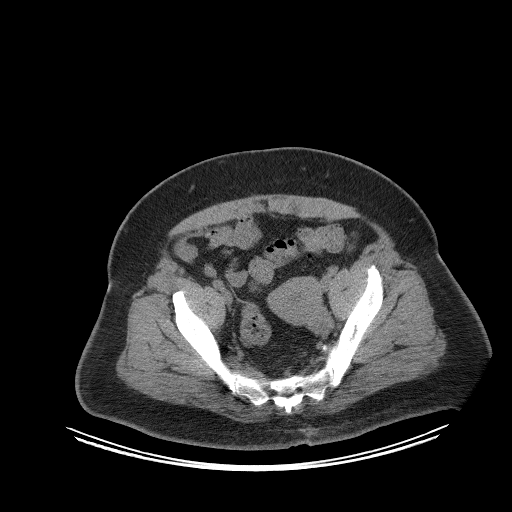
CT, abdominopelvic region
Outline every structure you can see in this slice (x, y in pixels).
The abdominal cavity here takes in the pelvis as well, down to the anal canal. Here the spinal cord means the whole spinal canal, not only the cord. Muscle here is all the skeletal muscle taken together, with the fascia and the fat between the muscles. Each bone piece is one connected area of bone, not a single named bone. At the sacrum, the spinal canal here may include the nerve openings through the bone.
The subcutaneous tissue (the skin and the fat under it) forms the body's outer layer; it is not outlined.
{"muscle":[{"outer":[[268,193],[332,199],[355,207],[381,225],[425,283],[434,320],[445,335],[441,365],[421,378],[393,384],[330,414],[272,415],[257,422],[241,422],[207,409],[154,399],[129,388],[116,373],[126,341],[128,309],[132,295],[158,259],[166,232],[213,204]],"hole":[[261,212],[358,218],[377,234],[349,268],[335,274],[327,292],[344,322],[374,264],[382,277],[381,307],[340,383],[321,400],[304,396],[290,414],[272,400],[257,406],[233,394],[174,321],[172,294],[183,290],[215,335],[226,298],[171,258],[170,240]]},[[225,357],[226,358],[227,357],[228,358],[232,358],[241,364],[247,364],[249,366],[254,368],[256,371],[266,377],[264,376],[259,378],[257,378],[256,377],[252,377],[242,373],[239,370],[237,370],[236,369],[232,369],[230,368],[224,361],[223,358]],[[325,354],[326,354],[326,356],[324,359],[324,363],[323,365],[320,368],[310,373],[307,373],[306,374],[301,374],[301,373],[306,368],[306,367],[308,366],[311,363],[312,360],[314,360],[318,357],[323,356]]],"abdominal_cavity":[[[261,212],[277,218],[358,218],[377,234],[377,239],[349,268],[341,269],[329,281],[329,303],[344,322],[335,342],[300,373],[273,378],[247,363],[222,357],[214,335],[225,318],[226,298],[214,287],[198,283],[171,258],[168,250],[168,243],[177,234]]],"bones":[[[372,264],[382,277],[382,304],[349,367],[323,399],[304,396],[290,414],[272,400],[257,406],[233,394],[174,321],[172,294],[183,290],[189,307],[209,327],[230,369],[257,379],[310,374],[324,365],[328,348],[336,342],[366,287],[366,270]]],"torso":[[[281,146],[327,150],[365,163],[399,184],[423,209],[436,232],[439,254],[478,313],[492,348],[461,407],[404,419],[341,441],[274,450],[178,443],[88,413],[76,396],[75,370],[100,311],[108,286],[109,250],[127,212],[152,187],[189,165],[225,153]]],"spinal_cord":[[[284,393],[285,393],[286,393],[287,393],[288,393],[289,393],[290,393],[291,393],[292,393],[292,394],[291,395],[290,395],[289,396],[288,396],[287,396],[286,396],[285,396],[284,396],[283,395],[282,395],[281,395],[281,394],[282,394],[283,394]]]}